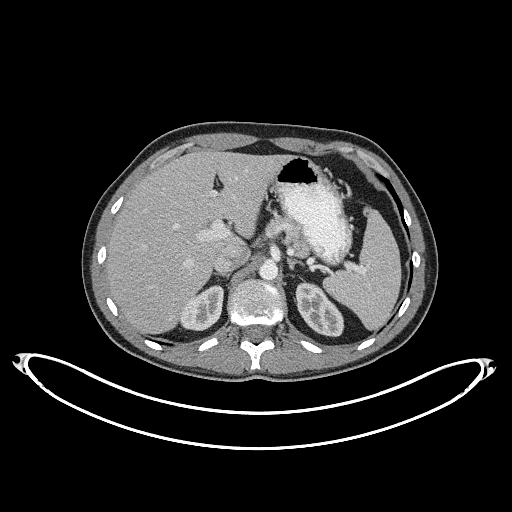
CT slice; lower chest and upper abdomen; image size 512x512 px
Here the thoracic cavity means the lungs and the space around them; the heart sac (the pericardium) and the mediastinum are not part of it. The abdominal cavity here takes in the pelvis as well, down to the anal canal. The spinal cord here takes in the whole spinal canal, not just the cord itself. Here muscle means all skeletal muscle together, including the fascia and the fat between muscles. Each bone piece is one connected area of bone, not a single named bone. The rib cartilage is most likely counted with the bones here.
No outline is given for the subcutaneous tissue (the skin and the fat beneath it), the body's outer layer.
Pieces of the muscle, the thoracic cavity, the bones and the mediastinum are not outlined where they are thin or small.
{"mediastinum":[[[377,177],[377,176],[377,175],[378,174],[379,174],[378,173],[377,172],[376,172],[375,171],[374,170],[373,169],[372,169],[371,168],[370,168],[371,169],[372,170],[373,171],[374,172],[374,173],[375,174],[376,175],[376,176]]],"spinal_cord":[[[253,342],[258,342],[264,339],[266,337],[267,337],[269,335],[269,331],[270,330],[270,328],[268,326],[266,326],[265,325],[260,325],[259,324],[254,324],[253,325],[249,325],[248,326],[243,327],[243,333],[244,335],[249,340]]],"thoracic_cavity":[[[408,233],[408,228],[404,223],[404,221],[402,218],[402,209],[403,207],[397,194],[395,192],[390,182],[386,178],[383,177],[381,175],[378,175],[378,177],[384,182],[390,193],[392,194],[398,206],[398,209],[400,212],[400,215],[402,218],[404,227]]],"abdominal_cavity":[[[318,345],[349,345],[374,335],[408,289],[408,234],[391,194],[367,165],[347,153],[299,154],[258,141],[225,150],[189,148],[139,179],[113,223],[105,260],[110,295],[138,333],[177,344],[205,340],[230,322],[234,288],[259,278],[278,289],[287,322]]],"muscle":[{"outer":[[236,375],[239,375],[246,372],[247,373],[256,370],[261,372],[268,372],[273,374],[290,373],[296,371],[302,371],[306,369],[321,369],[328,367],[334,367],[354,361],[379,349],[390,341],[403,329],[415,314],[421,303],[425,289],[425,283],[424,282],[424,271],[425,270],[425,256],[424,255],[424,252],[425,251],[425,245],[423,240],[423,235],[421,231],[421,227],[419,224],[419,221],[416,216],[414,208],[410,201],[409,196],[400,180],[390,166],[375,153],[365,148],[360,147],[358,145],[345,141],[317,142],[314,140],[311,140],[306,138],[298,138],[297,137],[268,138],[267,137],[257,137],[247,134],[227,133],[226,132],[198,134],[181,139],[174,143],[172,143],[170,145],[163,147],[153,153],[144,161],[139,164],[129,174],[111,197],[105,207],[97,225],[96,234],[95,235],[95,242],[94,243],[93,253],[91,259],[91,266],[90,267],[93,292],[96,301],[105,317],[118,332],[129,342],[144,352],[152,356],[177,365],[192,366],[193,367],[197,366],[213,371],[217,371],[228,374],[235,374]],"hole":[[251,369],[258,369],[261,353],[274,347],[269,331],[284,317],[311,341],[298,341],[310,351],[321,352],[320,345],[354,343],[359,344],[359,350],[370,345],[375,339],[372,336],[407,308],[410,299],[405,294],[412,269],[420,261],[419,254],[409,248],[411,218],[387,179],[389,174],[368,154],[348,146],[338,147],[338,152],[299,154],[266,141],[225,150],[190,148],[193,142],[188,142],[156,158],[126,199],[121,196],[112,205],[111,213],[118,213],[97,260],[105,262],[111,296],[106,301],[113,314],[119,312],[146,338],[148,346],[158,350],[162,344],[197,341],[202,342],[198,350],[204,350],[218,343],[214,334],[235,323],[242,328],[240,347],[250,355]]}],"torso":[[[220,381],[299,381],[345,372],[394,351],[419,327],[436,289],[437,246],[426,211],[413,187],[390,155],[373,140],[351,131],[298,124],[242,121],[188,124],[165,132],[149,142],[98,199],[84,233],[81,272],[88,304],[100,327],[120,348],[153,365]]],"bones":[[[242,332],[242,327],[249,324],[259,323],[260,324],[265,324],[271,327],[282,320],[284,311],[283,310],[283,301],[277,289],[274,286],[259,279],[247,279],[241,282],[235,288],[234,292],[231,296],[229,305],[230,320],[232,323],[235,323],[241,327]],[[251,369],[258,369],[259,368],[259,358],[261,353],[266,349],[272,349],[274,347],[274,342],[270,335],[267,338],[258,343],[253,343],[249,341],[243,335],[243,337],[240,341],[240,347],[242,349],[245,350],[250,355],[251,357],[251,366],[250,368]],[[387,178],[389,176],[389,174],[374,158],[368,154],[358,149],[355,150],[352,147],[349,147],[348,146],[342,146],[337,148],[339,151],[341,151],[342,152],[347,152],[348,153],[349,152],[354,152],[356,155],[362,160],[362,161]],[[150,168],[151,168],[156,163],[167,158],[169,156],[179,151],[181,151],[186,148],[188,148],[190,146],[193,145],[193,142],[188,142],[187,143],[184,143],[179,146],[177,146],[172,149],[168,150],[166,152],[156,158],[150,164]],[[313,352],[321,352],[322,351],[322,349],[319,346],[318,346],[317,345],[315,345],[310,342],[308,342],[307,341],[306,341],[305,340],[303,340],[302,339],[301,339],[298,341],[298,342],[300,344],[301,344],[306,349],[307,349],[310,351],[312,351]],[[199,351],[201,351],[202,350],[204,350],[205,349],[206,349],[207,348],[208,348],[213,345],[215,345],[216,344],[217,344],[218,343],[218,339],[216,337],[212,337],[211,338],[210,338],[209,339],[208,339],[207,340],[202,342],[198,346],[198,350]],[[397,317],[399,317],[401,315],[402,315],[402,314],[407,308],[407,307],[409,304],[409,301],[410,300],[410,299],[408,296],[406,296],[404,298],[404,299],[403,300],[403,301],[402,302],[402,303],[401,304],[401,305],[396,314],[396,316]],[[359,350],[360,349],[362,349],[365,347],[367,347],[369,345],[370,345],[374,341],[374,340],[375,339],[375,338],[374,337],[370,337],[369,338],[368,338],[367,339],[366,339],[365,340],[364,340],[362,342],[361,342],[357,346],[357,349],[358,349]],[[114,315],[117,315],[118,314],[118,312],[117,311],[117,308],[116,307],[115,304],[111,299],[111,298],[110,297],[107,297],[107,298],[106,299],[106,301],[107,302],[107,304],[108,305],[108,306],[109,307],[110,310],[113,313],[113,314]],[[113,214],[114,214],[119,209],[119,208],[120,207],[120,206],[121,205],[121,203],[122,202],[122,201],[123,200],[123,196],[121,196],[112,205],[112,206],[111,207],[111,209],[110,210],[110,211],[111,212],[111,213],[112,213]],[[158,350],[159,350],[162,348],[162,347],[161,346],[161,345],[159,343],[158,343],[155,341],[153,341],[152,340],[150,340],[149,339],[145,339],[144,340],[144,342],[148,346],[149,346],[150,347],[151,347],[154,349],[157,349]]]}